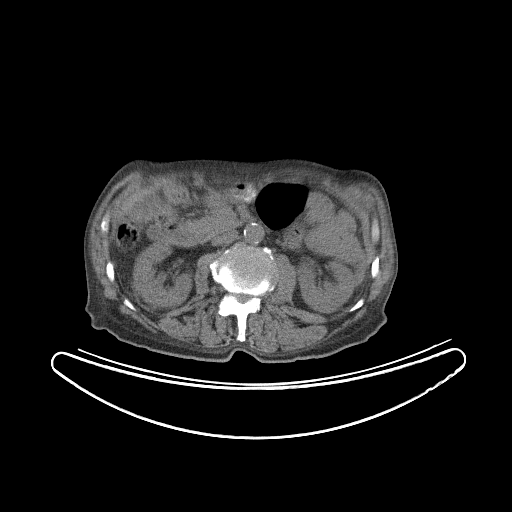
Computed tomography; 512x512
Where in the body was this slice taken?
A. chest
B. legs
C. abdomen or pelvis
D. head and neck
Answer: C. abdomen or pelvis
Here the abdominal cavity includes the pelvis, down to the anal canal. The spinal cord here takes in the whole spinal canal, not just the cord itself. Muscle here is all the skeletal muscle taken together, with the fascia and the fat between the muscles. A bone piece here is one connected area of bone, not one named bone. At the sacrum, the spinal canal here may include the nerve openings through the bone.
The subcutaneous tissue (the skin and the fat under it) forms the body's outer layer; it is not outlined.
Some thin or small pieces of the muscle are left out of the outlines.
The torso is outlined by 280,156 362,168 374,174 383,185 396,237 398,271 385,305 387,322 375,334 364,343 321,358 262,363 238,350 226,362 207,362 136,347 90,325 84,310 87,297 84,229 99,193 122,165 134,158 252,160. The abdominal cavity is outlined by 181,179 258,184 297,179 323,186 359,219 369,265 361,297 329,317 297,307 293,302 296,268 289,258 273,253 266,245 238,241 196,260 195,293 182,306 156,314 134,305 115,279 109,250 113,223 147,191. The muscle is outlined by 137,168 140,168 146,174 152,175 191,173 195,171 224,178 263,177 278,172 303,171 329,176 349,184 361,181 369,182 379,191 385,207 393,248 391,276 367,313 316,347 307,350 283,355 262,355 247,345 239,344 231,346 224,352 213,353 168,342 144,328 131,317 122,314 113,303 104,297 102,286 95,275 90,256 90,230 102,201 118,181, around holes outlined by 181,179 323,186 359,219 369,265 363,304 329,317 295,306 296,268 274,253 275,286 239,341 236,316 217,311 225,291 209,267 216,251 196,260 195,293 182,306 160,314 128,307 106,274 113,223 147,191 and by 108,210 109,211 109,228 108,229 108,231 107,232 107,233 102,233 102,232 101,231 101,228 100,227 100,224 101,223 101,221 102,220 102,219 103,218 103,216 105,214 105,213 106,212 106,211 107,211 and by 376,256 378,256 379,257 379,272 378,273 378,274 377,275 377,276 376,277 375,277 374,278 373,278 371,276 371,272 370,271 370,270 371,269 371,263 372,262 372,261 374,259 374,258 and by 375,218 376,218 377,219 377,223 378,224 378,227 379,228 379,239 377,241 373,241 372,240 372,237 371,236 371,229 372,228 372,223 373,222 373,220. The spinal cord is outlined by 239,293 242,293 243,294 248,294 249,295 251,295 251,297 248,300 247,300 245,302 240,302 239,301 238,301 237,300 237,299 235,297 235,296 234,295 234,294 238,294. The bones appear in 7 outlined pieces: piece 1: 238,242 245,246 270,248 275,264 275,286 272,291 267,291 261,296 260,309 247,315 246,339 242,342 236,339 238,332 236,316 233,314 222,316 217,311 225,291 219,283 214,281 209,267 210,263 225,249; inner edge: 239,293 242,293 243,294 248,294 249,295 251,295 251,297 248,300 247,300 245,302 240,302 239,301 238,301 237,300 237,299 235,297 235,296 234,295 234,294 238,294; piece 2: 108,210 109,211 109,228 108,229 108,231 107,232 107,233 102,233 102,232 101,231 101,228 100,227 100,224 101,223 101,221 102,220 102,219 103,218 103,216 105,214 105,213 106,212 106,211 107,211; piece 3: 376,256 378,256 379,257 379,272 378,273 378,274 377,275 377,276 376,277 375,277 374,278 373,278 371,276 371,272 370,271 370,270 371,269 371,263 372,262 372,261 374,259 374,258; piece 4: 375,218 376,218 377,219 377,223 378,224 378,227 379,228 379,239 377,241 373,241 372,240 372,237 371,236 371,229 372,228 372,223 373,222 373,220; piece 5: 108,261 111,261 112,262 112,263 113,264 113,269 114,270 114,281 113,282 111,282 109,280 109,279 108,278 108,277 107,276 107,275 106,274 106,265 107,264 107,262; piece 6: 360,298 363,298 364,299 364,301 363,302 363,304 360,307 359,307 358,308 357,308 355,310 354,310 353,311 351,311 350,312 349,311 349,309; piece 7: 125,298 126,298 127,299 128,299 133,304 133,305 135,307 135,308 136,309 135,310 133,310 132,309 131,309 129,307 128,307 123,302 123,301 124,300 124,299.